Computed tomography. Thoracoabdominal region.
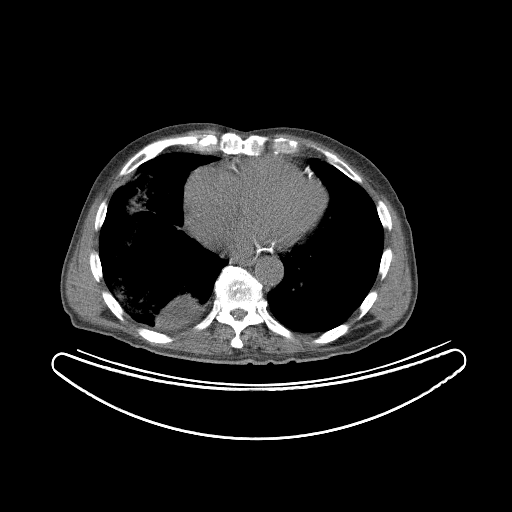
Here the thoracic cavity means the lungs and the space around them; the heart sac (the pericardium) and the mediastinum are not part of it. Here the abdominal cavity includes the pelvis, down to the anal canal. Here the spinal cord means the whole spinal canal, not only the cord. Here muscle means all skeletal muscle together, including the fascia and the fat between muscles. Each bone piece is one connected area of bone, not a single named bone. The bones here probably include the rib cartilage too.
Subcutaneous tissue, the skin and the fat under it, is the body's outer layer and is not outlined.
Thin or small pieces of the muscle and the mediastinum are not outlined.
pericardium: 265 154; 281 156; 300 162; 307 166; 325 186; 328 194; 328 205; 321 221; 319 221; 314 231; 301 243; 284 252; 262 251; 247 255; 221 254; 204 246; 192 237; 184 228; 183 209; 184 184; 190 172; 199 166; 218 162; 227 158
abdominal cavity: 130 210; 131 210; 132 210; 133 210; 134 210; 135 210; 134 210; 133 211; 133 212; 132 213; 131 213; 130 212; 130 211
spinal cord: 237 308; 239 308; 240 309; 242 309; 243 310; 244 310; 246 312; 246 313; 245 314; 245 315; 241 319; 236 319; 231 314; 231 312; 233 310; 234 310; 235 309; 236 309
thoracic cavity 1: 172 150; 191 150; 193 154; 217 158; 189 172; 183 184; 181 229; 204 248; 227 260; 227 264; 214 281; 214 297; 209 311; 193 326; 181 331; 165 333; 144 327; 135 321; 109 290; 103 277; 99 236; 108 203; 116 189; 141 164
thoracic cavity 2: 312 158; 325 160; 359 184; 375 204; 376 212; 383 229; 383 249; 377 275; 370 290; 345 322; 320 333; 292 331; 271 314; 266 298; 267 294; 284 278; 285 268; 281 260; 281 253; 309 241; 330 205; 327 187; 308 166; 308 161
mediastinum 1: 214 252; 217 252; 221 255; 227 254; 231 256; 247 256; 252 254; 259 254; 262 252; 280 253; 280 260; 284 268; 283 278; 274 288; 266 294; 265 297; 262 289; 262 284; 249 271; 241 266; 228 264; 227 259; 220 257
mediastinum 2: 298 153; 303 153; 304 154; 311 154; 312 155; 314 155; 315 156; 317 156; 318 157; 312 157; 311 158; 310 158; 307 161; 307 165; 302 163; 298 160; 294 160; 289 157; 284 157; 281 155; 276 155; 278 155; 279 154; 297 154
mediastinum 3: 191 151; 195 151; 196 152; 203 153; 204 154; 213 154; 214 153; 220 152; 225 155; 244 155; 236 155; 235 156; 227 157; 218 161; 216 161; 218 160; 218 158; 216 156; 210 155; 209 154; 199 154; 198 153; 193 153; 191 152
mediastinum 4: 313 233; 313 234; 312 235; 312 236; 309 239; 309 240; 308 240; 305 243; 304 243; 303 244; 302 244; 301 245; 298 245; 299 245; 300 244; 301 244; 310 235; 311 235
muscle: 277 133; 311 139; 332 149; 366 174; 396 211; 405 239; 411 295; 405 312; 394 324; 332 350; 257 355; 239 350; 216 355; 154 346; 79 317; 66 296; 69 263; 92 203; 113 173; 134 154; 118 172; 119 176; 130 174; 129 177; 108 202; 104 198; 97 207; 93 227; 96 232; 99 230; 98 251; 93 249; 88 256; 94 279; 99 282; 103 278; 108 288; 101 291; 102 299; 120 321; 125 320; 125 312; 142 326; 135 330; 143 339; 166 344; 174 340; 168 334; 192 327; 201 331; 216 320; 232 328; 234 335; 229 343; 234 349; 243 347; 240 335; 250 325; 264 324; 290 340; 295 338; 293 332; 317 333; 311 340; 313 344; 327 344; 346 334; 350 328; 346 321; 357 309; 357 320; 367 313; 378 297; 378 292; 371 289; 377 276; 383 280; 389 270; 393 251; 389 246; 384 248; 384 229; 392 229; 390 212; 381 199; 374 202; 360 185; 362 178; 337 154; 314 143; 308 145; 324 159; 299 152; 296 139; 270 138; 267 135
bones 1: 227 265; 245 269; 261 284; 268 311; 293 333; 293 339; 275 333; 264 323; 250 324; 240 332; 242 347; 234 348; 230 342; 235 332; 228 324; 214 319; 204 329; 195 330; 193 328; 210 311; 215 297; 215 281; 221 270 with a hole at 237 308; 239 308; 240 309; 242 309; 243 310; 244 310; 246 312; 246 313; 245 314; 245 315; 241 319; 236 319; 231 314; 231 312; 233 310; 234 310; 235 309; 236 309
bones 2: 225 132; 235 133; 243 139; 250 135; 293 139; 299 143; 300 150; 297 153; 273 154; 268 148; 257 155; 225 154; 220 151; 204 153; 187 146; 174 145; 141 163; 133 172; 119 175; 124 164; 153 141; 190 134; 212 133; 218 136
bones 3: 310 144; 314 144; 321 148; 328 150; 337 155; 337 156; 340 159; 344 161; 361 178; 362 182; 361 183; 358 183; 354 181; 339 169; 333 165; 330 164; 327 161; 326 161; 325 157; 319 151; 316 150; 310 146; 309 145
bones 4: 343 323; 347 323; 349 325; 349 328; 347 332; 343 335; 327 343; 313 343; 312 342; 312 340; 314 338; 318 336; 321 333; 323 332; 325 332; 330 329; 332 329
bones 5: 138 327; 143 327; 144 328; 146 328; 150 330; 153 330; 157 332; 160 332; 161 333; 164 333; 165 334; 167 334; 171 337; 172 337; 173 338; 173 340; 170 342; 167 342; 166 343; 151 342; 143 338; 137 332; 136 330
bones 6: 103 290; 107 290; 108 291; 109 291; 115 298; 115 299; 120 304; 120 305; 124 310; 124 314; 123 315; 124 320; 123 321; 120 320; 110 310; 110 309; 107 306; 106 303; 103 299; 103 297; 102 296; 102 294; 101 293
bones 7: 378 200; 381 200; 385 204; 389 212; 389 214; 391 218; 391 229; 390 230; 388 230; 385 228; 383 228; 383 226; 379 218; 379 216; 377 212; 377 209; 376 208; 376 203
bones 8: 93 250; 95 250; 98 252; 98 255; 99 256; 99 259; 100 260; 100 263; 101 264; 101 270; 102 271; 102 275; 103 276; 99 281; 97 281; 95 279; 91 271; 91 268; 90 267; 90 263; 89 262; 89 256; 90 255; 90 253
bones 9: 387 247; 389 247; 391 249; 392 251; 392 256; 391 257; 391 261; 390 262; 388 270; 386 273; 386 275; 383 279; 381 279; 380 278; 380 276; 378 274; 378 271; 379 270; 379 266; 380 265; 380 261; 381 260; 383 250
bones 10: 371 290; 375 290; 377 292; 377 297; 372 304; 371 307; 366 312; 366 313; 360 319; 357 319; 357 317; 359 314; 359 311; 358 310; 358 308; 363 301; 363 300; 365 298; 365 297; 367 295; 367 294
bones 11: 104 199; 105 199; 107 202; 107 209; 106 210; 106 213; 105 214; 105 217; 104 218; 103 223; 101 227; 98 230; 96 231; 94 227; 95 226; 95 217; 96 216; 96 213; 97 212; 98 207; 100 203
torso: 186 122; 213 122; 240 130; 277 126; 313 130; 338 140; 372 161; 396 192; 412 232; 418 293; 406 324; 354 353; 323 360; 266 365; 214 364; 173 358; 74 327; 61 303; 60 274; 80 211; 95 178; 113 155; 129 142; 164 126